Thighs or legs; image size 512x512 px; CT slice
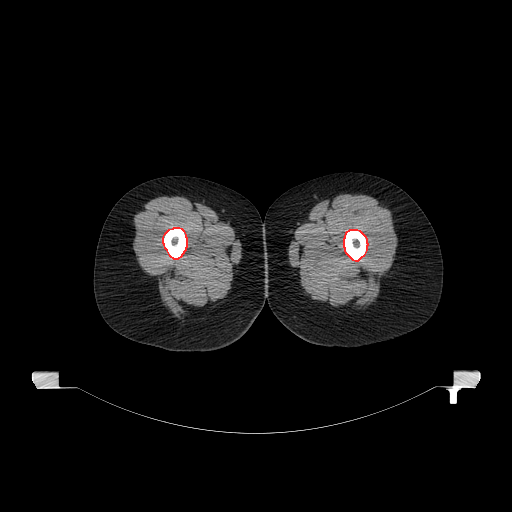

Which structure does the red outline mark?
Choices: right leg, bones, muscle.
red: bones.
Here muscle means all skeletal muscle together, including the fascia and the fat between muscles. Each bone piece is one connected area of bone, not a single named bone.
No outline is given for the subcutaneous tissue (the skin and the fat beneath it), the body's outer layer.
Outlines (x, y in pixels):
bones 1: [[174,227],[179,227],[181,228],[183,230],[185,234],[185,236],[186,237],[186,247],[185,248],[185,250],[181,255],[181,256],[177,259],[174,259],[170,256],[167,250],[165,248],[164,244],[163,243],[163,237],[165,233],[169,229],[173,228]]
bones 2: [[350,229],[357,229],[359,230],[365,236],[366,238],[366,242],[367,243],[367,245],[366,246],[366,250],[363,256],[361,257],[357,261],[355,261],[353,260],[346,253],[345,251],[345,248],[344,247],[344,238],[345,237],[346,232]]
left leg: [[346,171],[363,172],[385,178],[402,188],[416,201],[430,221],[440,245],[443,259],[443,287],[435,312],[424,324],[415,330],[394,339],[359,347],[325,347],[310,343],[294,334],[276,318],[269,307],[266,294],[263,220],[272,202],[286,190],[325,174]]
right leg: [[167,175],[196,176],[227,186],[251,201],[263,219],[262,238],[266,301],[246,333],[237,341],[220,349],[212,351],[171,351],[130,340],[115,332],[107,325],[100,315],[95,302],[93,292],[94,258],[101,228],[109,211],[118,199],[134,186],[144,181]]
muscle 1: [[337,193],[366,194],[380,200],[394,212],[395,227],[398,237],[398,247],[394,264],[387,274],[376,300],[367,310],[358,315],[332,312],[310,303],[301,294],[297,286],[297,282],[293,275],[287,256],[290,236],[298,226],[306,212],[319,201]]; inner edge: [[350,229],[357,229],[359,230],[365,236],[366,238],[366,242],[367,243],[367,245],[366,246],[366,250],[363,256],[361,257],[357,261],[355,261],[353,260],[346,253],[345,251],[345,248],[344,247],[344,238],[345,237],[346,232]]
muscle 2: [[163,195],[177,195],[206,201],[235,225],[240,233],[243,243],[243,259],[226,300],[207,316],[193,322],[177,321],[171,317],[168,310],[162,304],[160,295],[152,281],[152,278],[146,274],[138,264],[132,247],[134,238],[132,219],[134,215],[146,202]]; inner edge: [[174,227],[179,227],[181,228],[183,230],[185,234],[185,236],[186,237],[186,247],[185,248],[185,250],[181,255],[181,256],[177,259],[174,259],[170,256],[167,250],[165,248],[164,244],[163,243],[163,237],[165,233],[169,229],[173,228]]